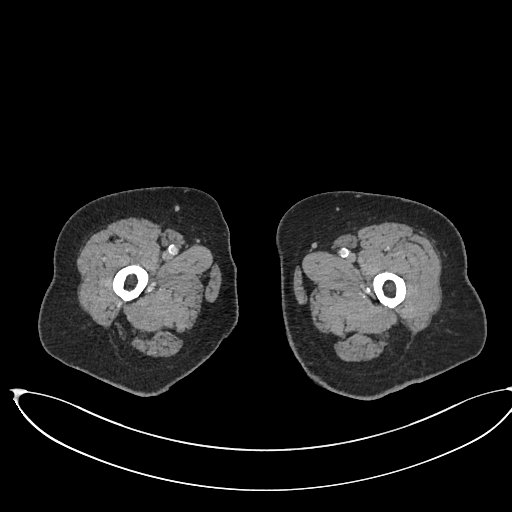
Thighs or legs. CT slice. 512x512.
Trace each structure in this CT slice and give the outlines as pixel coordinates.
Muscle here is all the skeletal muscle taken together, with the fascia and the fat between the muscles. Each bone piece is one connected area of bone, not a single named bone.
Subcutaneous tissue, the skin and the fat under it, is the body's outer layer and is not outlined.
{"bones":[[[130,264],[139,264],[147,272],[148,274],[148,282],[145,288],[136,298],[132,300],[130,300],[129,301],[123,301],[122,299],[114,292],[112,288],[112,280],[116,272],[118,270]],[[384,271],[389,271],[390,272],[395,273],[397,275],[400,276],[403,278],[406,285],[406,294],[405,295],[404,299],[400,303],[399,303],[393,308],[390,308],[382,304],[378,300],[374,292],[373,286],[372,285],[373,278],[378,273],[380,272],[383,272]]],"left_leg":[[[337,190],[387,194],[415,200],[438,210],[454,224],[464,242],[468,278],[479,295],[486,313],[486,341],[477,356],[431,378],[375,399],[357,399],[342,395],[315,383],[306,375],[291,350],[285,334],[275,235],[281,217],[294,203],[313,194]]],"muscle":[{"outer":[[384,221],[395,221],[413,224],[425,229],[435,238],[440,250],[442,265],[442,303],[429,326],[415,336],[408,349],[398,359],[383,367],[371,369],[348,366],[341,363],[325,347],[301,313],[293,291],[294,266],[298,258],[313,242],[354,227],[372,222]],"hole":[[384,271],[389,271],[390,272],[395,273],[397,275],[400,276],[403,278],[406,285],[406,294],[405,295],[404,299],[400,303],[399,303],[393,308],[390,308],[382,304],[378,300],[374,292],[373,286],[372,285],[373,278],[378,273],[380,272],[383,272]]},{"outer":[[127,217],[142,218],[182,230],[200,239],[214,252],[221,263],[223,276],[217,298],[188,346],[179,355],[172,358],[148,360],[138,358],[118,350],[108,335],[80,307],[77,299],[77,286],[80,276],[76,267],[76,260],[81,246],[95,230],[109,222]],"hole":[[130,264],[139,264],[147,272],[148,274],[148,282],[145,288],[136,298],[132,300],[130,300],[129,301],[123,301],[122,299],[114,292],[112,288],[112,280],[116,272],[118,270]]}],"right_leg":[[[152,186],[192,187],[210,194],[218,202],[229,229],[231,253],[237,268],[239,314],[233,330],[201,365],[167,390],[155,395],[141,396],[113,386],[52,357],[41,345],[37,319],[42,298],[53,275],[55,243],[67,219],[78,208],[98,197],[123,190]]]}